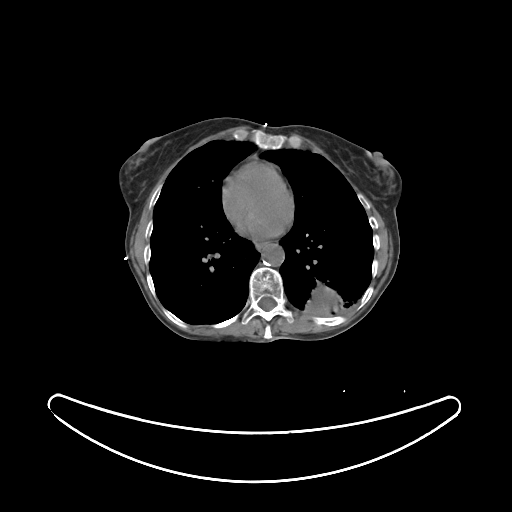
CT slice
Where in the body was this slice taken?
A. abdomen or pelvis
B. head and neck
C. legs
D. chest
Answer: D. chest
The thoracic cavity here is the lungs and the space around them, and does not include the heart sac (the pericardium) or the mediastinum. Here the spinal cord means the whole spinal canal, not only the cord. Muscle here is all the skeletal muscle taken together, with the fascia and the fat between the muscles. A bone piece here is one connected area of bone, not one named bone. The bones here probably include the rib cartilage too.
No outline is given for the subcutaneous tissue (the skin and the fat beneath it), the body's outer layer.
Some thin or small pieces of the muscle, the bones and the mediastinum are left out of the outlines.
Outlined structures:
muscle 1: 366 197; 378 211; 386 227; 390 231; 390 237; 393 246; 392 261; 388 274; 374 297; 360 314; 342 326; 320 332; 309 332; 308 333; 278 332; 273 335; 271 330; 271 325; 269 322; 275 316; 284 317; 287 322; 290 324; 294 321; 293 311; 287 306; 288 303; 298 310; 304 311; 313 315; 311 319; 316 325; 333 327; 345 322; 347 318; 343 315; 351 310; 358 302; 356 309; 359 310; 370 299; 374 291; 374 286; 370 283; 372 278; 373 279; 376 276; 379 267; 379 262; 374 257; 374 251; 377 251; 380 248; 380 236; 376 232; 373 232; 379 227; 379 224; 375 216; 371 214; 368 215; 366 212; 371 208; 371 205
muscle 2: 244 125; 253 128; 250 131; 243 127; 240 127; 236 129; 231 134; 232 139; 229 140; 226 139; 213 139; 189 151; 175 164; 167 174; 164 181; 161 181; 157 184; 150 196; 147 207; 149 210; 152 210; 152 217; 147 221; 144 229; 144 238; 147 240; 149 239; 149 241; 144 245; 142 251; 143 262; 146 266; 148 266; 149 270; 145 275; 145 279; 149 291; 155 299; 159 300; 160 303; 163 306; 161 308; 161 310; 163 314; 170 322; 156 309; 151 302; 144 288; 141 279; 133 264; 130 250; 131 235; 136 225; 139 222; 143 207; 149 194; 160 176; 168 167; 179 158; 190 146; 195 144; 205 136; 228 128; 243 126
muscle 3: 255 316; 259 316; 266 321; 262 337; 234 336; 233 335; 210 336; 209 335; 194 334; 183 330; 186 330; 189 327; 188 324; 192 325; 210 324; 212 328; 219 329; 224 328; 234 323; 239 319; 240 319; 240 322; 243 325; 245 325
muscle 4: 290 133; 296 133; 306 138; 308 138; 323 148; 331 156; 332 159; 350 179; 350 181; 353 185; 361 192; 355 191; 340 170; 323 155; 317 152; 312 152; 308 149; 306 150; 300 148; 302 145; 302 140; 301 138; 296 134; 286 135
torso: 223 116; 270 126; 303 124; 322 128; 368 150; 382 152; 399 172; 402 191; 396 207; 400 238; 396 271; 369 313; 349 329; 319 340; 198 341; 168 329; 146 303; 128 267; 124 251; 129 212; 118 185; 119 168; 146 140; 201 120
pericardium: 252 157; 257 157; 262 160; 266 160; 275 164; 289 184; 293 194; 294 213; 293 214; 292 226; 287 233; 276 239; 254 240; 249 237; 241 235; 234 230; 234 228; 224 213; 222 204; 222 187; 224 180; 226 176; 236 166; 248 158
mediastinum 1: 246 238; 249 238; 254 241; 276 240; 279 238; 281 238; 280 242; 283 244; 284 246; 284 259; 280 265; 279 269; 278 270; 275 268; 271 267; 269 265; 261 265; 255 267; 259 261; 260 253; 255 248; 253 242; 251 240
mediastinum 2: 257 147; 262 150; 265 150; 261 152; 259 155; 260 157; 265 159; 262 159; 257 156; 252 156; 251 157; 248 157; 246 159; 236 165; 235 167; 234 167; 231 170; 231 169; 236 164; 250 155; 257 148
bones 1: 261 266; 269 266; 279 272; 288 301; 286 306; 292 311; 293 321; 290 323; 284 316; 275 315; 268 322; 271 338; 263 337; 267 321; 259 315; 245 324; 239 318; 224 327; 212 327; 212 324; 229 319; 242 309; 249 294; 251 273, around a hole outlined by 264 297; 270 297; 272 299; 273 299; 275 301; 275 305; 273 307; 272 307; 270 309; 269 309; 268 310; 265 310; 264 309; 263 309; 259 305; 259 302; 261 300; 261 299; 262 298; 263 298
bones 2: 240 128; 243 128; 249 132; 253 129; 258 129; 267 134; 272 135; 296 135; 300 138; 301 145; 299 148; 293 148; 289 147; 286 143; 284 147; 281 148; 262 149; 258 147; 255 143; 250 141; 248 136; 244 140; 234 139; 232 134
bones 3: 335 315; 342 315; 346 318; 346 320; 340 324; 338 324; 337 325; 334 325; 333 326; 328 326; 327 325; 324 325; 323 324; 318 325; 316 324; 313 321; 312 319; 312 317; 313 316; 319 316; 320 317; 329 317; 330 316; 334 316
bones 4: 163 307; 164 307; 166 309; 167 309; 169 311; 170 311; 181 320; 182 320; 184 322; 185 322; 188 325; 188 327; 186 329; 183 329; 179 326; 178 326; 176 324; 175 324; 173 322; 172 322; 164 314; 164 313; 162 310; 162 308
bones 5: 161 182; 163 182; 163 185; 161 188; 161 190; 160 191; 159 196; 158 197; 155 204; 153 206; 153 208; 152 209; 149 209; 149 208; 148 207; 149 206; 149 202; 150 201; 151 196; 152 195; 154 190; 158 185; 158 184; 159 184
bones 6: 369 285; 372 285; 373 286; 373 291; 372 292; 372 293; 371 294; 371 295; 370 296; 369 299; 359 309; 357 309; 357 306; 359 304; 359 300; 361 298; 361 297; 363 295; 364 292; 366 290; 366 289; 368 287; 368 286
bones 7: 149 242; 149 245; 150 246; 150 250; 151 251; 151 254; 150 255; 150 258; 149 259; 149 262; 148 263; 148 265; 146 265; 144 262; 144 258; 143 257; 143 251; 144 250; 144 247; 145 246; 145 245; 147 243; 148 243
bones 8: 149 272; 151 275; 151 277; 153 281; 153 285; 155 289; 155 293; 156 294; 156 296; 157 298; 155 298; 153 296; 148 286; 148 283; 146 279; 146 275; 147 273
bones 9: 356 192; 359 192; 360 193; 361 193; 365 197; 365 198; 368 201; 368 202; 370 205; 370 208; 368 210; 366 210; 364 208; 364 207; 362 205; 362 204; 360 202; 360 201; 359 200; 359 199; 357 197; 357 195; 356 194
bones 10: 151 218; 152 218; 152 221; 153 222; 153 227; 152 228; 152 231; 151 232; 151 234; 150 235; 150 237; 148 239; 147 239; 146 238; 145 238; 145 229; 146 228; 146 226; 147 225; 147 223; 148 222; 148 221
bones 11: 370 215; 371 215; 372 216; 373 216; 374 217; 375 217; 375 218; 377 221; 377 223; 378 224; 378 227; 376 229; 375 229; 374 230; 373 230; 372 229; 372 228; 371 227; 371 226; 369 223; 369 220; 368 219; 368 216; 369 216
bones 12: 374 258; 375 258; 377 260; 377 261; 378 262; 378 267; 377 268; 377 272; 376 273; 376 274; 375 275; 375 276; 373 278; 372 277; 372 273; 371 272; 371 270; 372 269; 372 262; 373 261; 373 259
thoracic cavity 1: 233 139; 247 140; 255 144; 256 148; 236 163; 222 180; 222 210; 233 231; 252 242; 259 258; 250 273; 248 294; 238 312; 211 324; 187 323; 166 308; 156 293; 149 269; 153 209; 168 174; 184 156; 210 141
thoracic cavity 2: 282 148; 308 150; 327 159; 339 170; 351 186; 367 215; 372 230; 371 279; 358 301; 343 314; 314 315; 293 306; 285 293; 283 278; 279 271; 285 259; 285 246; 281 241; 294 223; 294 194; 281 168; 276 163; 260 156; 266 150
spinal cord: 264 297; 270 297; 272 299; 273 299; 275 301; 275 305; 273 307; 272 307; 270 309; 269 309; 268 310; 265 310; 264 309; 263 309; 259 305; 259 302; 261 300; 261 299; 262 298; 263 298